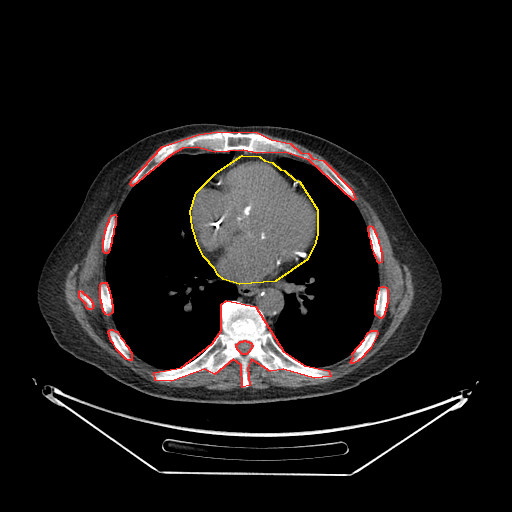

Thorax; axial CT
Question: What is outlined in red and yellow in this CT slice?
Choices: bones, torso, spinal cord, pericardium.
Answer: red: bones; yellow: pericardium.
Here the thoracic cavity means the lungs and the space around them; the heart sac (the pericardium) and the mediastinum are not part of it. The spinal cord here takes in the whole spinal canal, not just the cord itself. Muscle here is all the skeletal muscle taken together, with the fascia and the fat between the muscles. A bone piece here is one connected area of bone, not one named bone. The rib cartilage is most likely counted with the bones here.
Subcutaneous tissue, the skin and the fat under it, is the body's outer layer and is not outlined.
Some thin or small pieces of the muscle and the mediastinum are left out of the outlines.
{"bones":[{"outer":[[226,300],[255,306],[283,351],[304,365],[328,370],[330,376],[314,378],[283,369],[270,371],[251,359],[247,367],[249,385],[242,387],[241,365],[233,359],[214,374],[204,369],[171,381],[155,380],[154,372],[181,367],[212,343],[221,330],[221,304]],"hole":[[244,340],[245,340],[246,341],[248,341],[249,342],[250,342],[251,343],[251,344],[252,345],[252,346],[251,347],[251,348],[249,350],[249,351],[246,354],[242,354],[237,349],[237,348],[236,347],[236,344],[237,344],[240,341],[243,341]]},[[217,131],[257,132],[271,139],[290,143],[300,152],[308,153],[312,158],[323,160],[351,189],[355,199],[353,200],[309,160],[285,152],[256,153],[243,150],[215,152],[196,147],[182,148],[170,155],[132,186],[130,184],[132,179],[162,146],[198,134]],[[371,330],[376,330],[377,332],[377,334],[370,348],[364,354],[364,355],[357,361],[353,363],[351,363],[350,362],[353,357],[352,355],[352,353],[364,339],[367,333]],[[110,329],[112,329],[115,331],[117,331],[120,337],[123,340],[125,344],[128,347],[128,348],[131,352],[131,360],[128,360],[126,359],[116,349],[113,343],[111,341],[110,339],[110,337],[109,336],[109,334],[108,333],[108,331]],[[381,286],[384,286],[386,287],[387,289],[387,303],[386,304],[386,307],[385,308],[385,311],[384,312],[384,314],[383,316],[381,318],[380,318],[375,314],[375,304],[376,303],[376,299],[377,298],[377,294],[378,293],[378,290],[379,289],[379,287]],[[102,282],[106,282],[106,283],[107,284],[107,286],[108,287],[108,289],[109,290],[110,297],[111,298],[111,303],[112,304],[112,312],[108,315],[105,314],[105,313],[103,311],[103,309],[102,308],[102,304],[101,303],[101,300],[100,299],[100,284]],[[113,214],[115,214],[116,216],[115,218],[115,224],[113,229],[113,233],[111,238],[111,243],[110,244],[109,250],[107,253],[105,253],[103,251],[103,239],[104,238],[105,230],[106,229],[107,224],[109,221],[109,219],[111,215]],[[370,225],[372,226],[372,227],[374,229],[374,231],[376,234],[376,236],[378,240],[378,243],[380,247],[380,250],[381,251],[381,262],[379,263],[377,261],[376,257],[374,254],[374,252],[372,248],[372,245],[371,244],[371,240],[369,236],[368,227]],[[80,290],[81,291],[82,291],[82,292],[84,294],[85,294],[91,300],[91,301],[92,302],[92,304],[93,305],[93,306],[92,307],[92,308],[91,309],[88,309],[86,307],[86,304],[79,297],[79,291]]],"pericardium":[[[242,155],[259,156],[264,160],[272,162],[280,169],[284,170],[294,179],[299,181],[317,209],[317,233],[315,242],[307,259],[275,281],[239,284],[223,279],[218,275],[214,268],[204,257],[198,246],[192,227],[190,211],[196,192],[216,172]]],"thoracic_cavity":[[[188,150],[232,154],[231,159],[196,190],[191,201],[189,217],[201,255],[215,271],[216,279],[235,285],[237,297],[226,299],[220,304],[220,330],[199,355],[181,366],[160,369],[133,353],[118,332],[106,280],[106,263],[117,215],[132,188],[170,156]],[[283,155],[314,166],[353,201],[367,228],[377,262],[378,289],[374,315],[368,331],[349,355],[324,367],[314,367],[296,360],[283,350],[275,339],[275,324],[285,305],[284,284],[288,275],[301,266],[312,253],[319,221],[318,209],[306,187],[282,165]]],"muscle":[{"outer":[[147,159],[131,179],[129,184],[132,187],[117,214],[110,215],[102,239],[102,251],[107,254],[106,281],[99,284],[99,299],[104,314],[112,314],[117,330],[110,328],[107,331],[109,339],[126,360],[132,360],[132,353],[159,369],[151,374],[151,377],[157,382],[158,382],[171,382],[204,370],[214,375],[236,360],[240,365],[241,387],[191,389],[169,386],[143,378],[97,345],[66,302],[64,284],[67,273],[87,254],[97,226],[118,197],[124,180]],"hole":[[80,290],[81,291],[82,291],[82,292],[84,294],[85,294],[91,300],[91,301],[92,302],[92,304],[93,305],[93,306],[92,307],[92,308],[91,309],[88,309],[86,307],[86,304],[79,297],[79,291]]},[[262,133],[287,139],[304,146],[322,156],[347,178],[378,216],[387,233],[394,256],[402,265],[405,264],[408,267],[412,276],[414,295],[411,306],[386,343],[353,371],[342,377],[320,384],[295,388],[255,389],[249,387],[249,362],[256,360],[270,372],[283,370],[314,379],[328,379],[331,376],[331,372],[323,368],[335,364],[351,354],[352,357],[349,362],[351,364],[362,358],[371,348],[378,334],[376,329],[369,330],[373,318],[375,315],[381,319],[385,314],[388,303],[387,287],[384,285],[379,286],[378,263],[382,262],[382,251],[375,229],[370,224],[367,227],[354,202],[356,199],[355,193],[323,159],[312,157],[308,152],[300,151],[290,142],[271,138]],[[214,130],[224,130],[217,130],[216,131],[213,131],[212,132],[206,132],[205,133],[198,133],[197,134],[195,134],[194,135],[192,135],[189,137],[187,137],[186,138],[184,138],[183,139],[181,139],[180,140],[175,140],[174,141],[172,141],[173,141],[176,139],[178,139],[179,138],[181,138],[182,137],[185,137],[188,135],[191,135],[192,134],[194,134],[195,133],[200,133],[201,132],[209,132],[210,131],[213,131]]],"torso":[[[204,122],[302,130],[347,149],[381,174],[409,224],[432,256],[442,279],[439,306],[421,342],[410,355],[343,391],[283,401],[217,404],[146,394],[78,359],[57,344],[38,307],[37,283],[48,254],[75,217],[93,179],[110,159],[136,141],[168,128]]],"mediastinum":[[[295,268],[297,268],[287,275],[283,284],[283,290],[285,291],[283,293],[284,305],[274,324],[274,336],[274,334],[267,326],[267,322],[263,312],[251,303],[242,302],[236,299],[238,297],[237,287],[235,284],[230,282],[239,285],[275,282]],[[229,151],[243,151],[248,153],[255,153],[256,154],[280,154],[282,155],[280,160],[281,165],[288,170],[297,179],[290,175],[284,169],[280,168],[272,161],[264,159],[261,156],[256,154],[242,154],[228,163],[233,157],[233,154],[231,152],[227,152]]],"spinal_cord":[[[244,340],[245,340],[246,341],[248,341],[249,342],[250,342],[251,343],[251,344],[252,345],[252,346],[251,347],[251,348],[249,350],[249,351],[246,354],[242,354],[237,349],[237,348],[236,347],[236,344],[237,344],[240,341],[243,341]]]}